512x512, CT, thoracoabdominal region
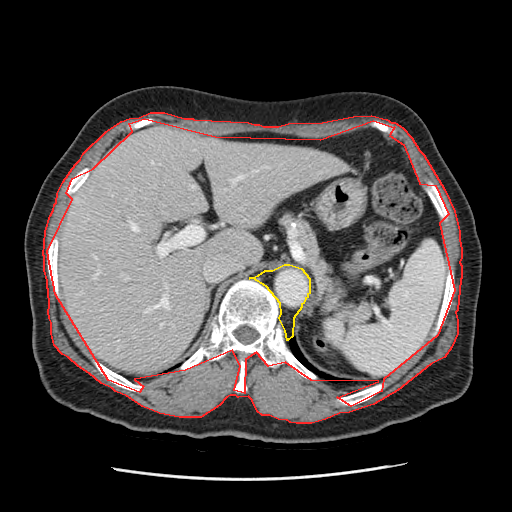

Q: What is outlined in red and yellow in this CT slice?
A: red: muscle; yellow: mediastinum.
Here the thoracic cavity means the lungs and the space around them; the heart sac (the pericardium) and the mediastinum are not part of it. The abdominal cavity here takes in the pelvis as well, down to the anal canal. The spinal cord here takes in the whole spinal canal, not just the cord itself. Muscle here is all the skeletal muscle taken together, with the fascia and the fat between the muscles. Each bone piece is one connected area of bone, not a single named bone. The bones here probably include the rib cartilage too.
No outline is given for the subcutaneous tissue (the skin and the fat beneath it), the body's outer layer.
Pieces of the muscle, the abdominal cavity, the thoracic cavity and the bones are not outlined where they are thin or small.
muscle: 150 112; 164 112; 184 118; 192 118; 193 119; 248 122; 254 124; 259 124; 263 126; 278 126; 288 123; 322 122; 353 116; 371 115; 386 119; 391 122; 394 122; 402 127; 411 137; 419 150; 423 154; 444 189; 454 211; 459 231; 459 239; 461 249; 461 257; 459 262; 461 265; 461 278; 460 279; 457 310; 455 312; 457 320; 457 333; 451 347; 444 357; 430 364; 397 390; 373 404; 349 412; 339 413; 325 419; 311 423; 296 423; 290 422; 287 420; 278 419; 269 415; 262 415; 257 411; 252 400; 248 396; 238 397; 235 395; 230 395; 226 397; 219 405; 200 417; 179 417; 159 413; 142 406; 127 396; 115 391; 112 388; 101 383; 89 373; 78 366; 68 357; 62 354; 54 345; 51 333; 51 322; 49 318; 48 311; 49 306; 48 289; 47 288; 47 280; 44 270; 44 256; 43 255; 45 231; 50 215; 53 210; 54 204; 56 202; 57 193; 63 181; 75 164; 80 159; 83 153; 106 131; 121 121; 129 118; 139 117, around a hole outlined by 144 118; 215 136; 320 139; 373 120; 394 127; 389 135; 403 144; 419 183; 435 185; 448 214; 439 223; 454 290; 437 335; 383 379; 381 391; 351 406; 337 397; 378 381; 311 380; 285 362; 268 366; 256 352; 245 359; 244 393; 234 390; 240 365; 232 350; 185 370; 134 379; 143 386; 139 392; 108 380; 55 294; 47 251; 72 199; 66 193; 72 178; 93 168; 132 131; 129 123
mediastinum: 284 264; 289 264; 301 268; 309 278; 309 293; 307 294; 307 297; 305 298; 303 303; 301 304; 301 307; 293 318; 292 336; 287 340; 285 330; 279 318; 281 313; 280 303; 266 286; 253 278; 249 278; 258 275; 265 270; 272 270
torso: 154 85; 267 101; 370 91; 393 97; 413 109; 461 187; 481 244; 473 375; 467 390; 451 402; 377 432; 313 443; 137 431; 74 411; 52 399; 40 382; 31 345; 32 317; 24 258; 26 222; 43 180; 87 119; 113 97
thoracic cavity: 291 337; 294 337; 295 338; 295 341; 301 353; 307 360; 307 361; 309 362; 309 363; 315 368; 331 376; 333 376; 337 378; 346 379; 348 380; 349 382; 331 383; 319 377; 319 376; 316 373; 305 366; 291 351; 287 343; 287 341
abdominal cavity: 167 122; 204 135; 308 139; 372 127; 401 142; 439 218; 447 266; 434 326; 417 353; 381 381; 350 382; 315 367; 293 336; 310 278; 284 263; 234 281; 199 346; 167 371; 131 380; 96 359; 74 333; 61 299; 62 220; 114 141
spinal cord: 241 325; 247 325; 250 327; 252 327; 253 328; 254 328; 258 332; 258 333; 259 334; 259 336; 255 340; 254 340; 250 343; 248 343; 247 344; 244 344; 243 343; 242 343; 240 341; 239 341; 233 334; 233 332; 239 326; 240 326
bones 1: 245 278; 259 282; 273 294; 279 303; 278 318; 290 351; 318 379; 303 377; 285 362; 272 368; 255 352; 245 359; 247 391; 237 393; 234 386; 239 379; 239 355; 232 350; 218 360; 205 357; 188 369; 178 368; 204 340; 229 287 with a hole at 241 325; 247 325; 250 327; 252 327; 253 328; 254 328; 258 332; 258 333; 259 334; 259 336; 255 340; 254 340; 250 343; 248 343; 247 344; 244 344; 243 343; 242 343; 240 341; 239 341; 233 334; 233 332; 239 326; 240 326
bones 2: 450 267; 452 267; 454 270; 454 290; 453 291; 453 298; 451 302; 451 305; 449 311; 447 314; 447 316; 443 325; 439 330; 437 335; 434 338; 431 339; 431 333; 435 326; 435 323; 438 317; 438 314; 443 299; 447 272
bones 3: 379 382; 384 382; 386 384; 386 386; 381 391; 365 401; 363 401; 360 403; 358 403; 351 406; 348 406; 347 405; 342 405; 338 403; 336 401; 336 398; 337 397; 343 396; 344 395; 347 395; 348 394; 350 394; 351 393; 365 389
bones 4: 94 359; 99 361; 102 364; 114 372; 127 378; 134 383; 142 385; 143 386; 143 388; 139 392; 134 392; 133 391; 125 389; 122 387; 120 387; 116 385; 114 383; 108 380; 102 374; 100 373; 100 372; 96 368; 92 362; 92 360
bones 5: 55 236; 56 236; 58 239; 58 245; 57 246; 57 280; 58 281; 58 287; 59 288; 60 299; 57 298; 55 294; 55 292; 53 289; 53 287; 51 284; 51 282; 49 278; 49 275; 48 274; 47 262; 46 261; 48 246; 51 240
bones 6: 425 179; 429 179; 432 181; 432 182; 437 188; 445 204; 445 206; 447 210; 447 213; 448 214; 448 219; 447 221; 443 221; 439 217; 438 213; 436 211; 436 209; 432 203; 429 196; 422 187; 422 185; 425 183
bones 7: 84 167; 88 167; 90 169; 89 174; 87 176; 86 179; 74 193; 73 193; 71 195; 69 195; 68 194; 67 194; 66 193; 66 188; 67 187; 68 184; 70 182; 70 181; 72 179; 72 178; 76 174; 76 173; 77 172; 78 172
bones 8: 373 120; 379 120; 390 126; 392 126; 394 127; 396 129; 397 131; 397 133; 395 135; 393 135; 392 134; 389 134; 388 133; 386 133; 385 132; 382 132; 380 131; 377 128; 371 126; 370 123; 371 121